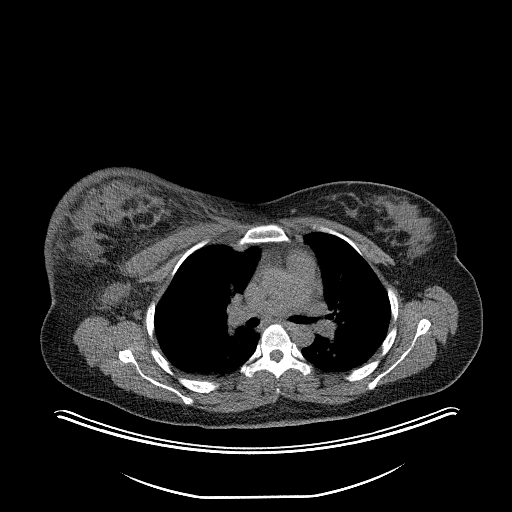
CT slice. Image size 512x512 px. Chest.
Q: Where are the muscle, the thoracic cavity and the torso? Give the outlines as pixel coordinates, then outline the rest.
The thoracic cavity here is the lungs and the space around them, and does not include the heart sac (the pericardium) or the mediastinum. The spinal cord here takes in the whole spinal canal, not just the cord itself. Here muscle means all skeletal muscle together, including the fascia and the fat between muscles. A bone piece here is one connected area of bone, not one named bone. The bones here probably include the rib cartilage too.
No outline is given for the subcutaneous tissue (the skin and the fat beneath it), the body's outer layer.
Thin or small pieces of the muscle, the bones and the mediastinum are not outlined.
A: {"muscle":[{"outer":[[308,215],[323,217],[345,225],[366,236],[387,253],[395,263],[384,267],[383,271],[404,301],[414,299],[421,290],[433,285],[442,287],[451,295],[458,308],[457,328],[428,367],[409,376],[382,384],[374,389],[380,379],[389,373],[410,352],[418,337],[428,331],[431,321],[423,317],[417,322],[414,335],[407,348],[394,362],[367,384],[366,388],[370,391],[356,399],[340,404],[322,404],[297,401],[280,396],[273,403],[247,410],[213,412],[191,406],[194,403],[192,397],[183,394],[171,385],[160,382],[145,374],[129,347],[120,349],[117,357],[125,364],[132,363],[142,378],[174,393],[187,405],[184,405],[160,401],[132,391],[126,391],[117,386],[108,376],[102,375],[96,369],[91,368],[73,342],[73,334],[79,323],[90,315],[103,316],[113,324],[122,320],[139,322],[142,319],[151,292],[150,285],[152,284],[150,282],[137,283],[134,279],[124,276],[120,273],[120,266],[132,255],[157,240],[180,228],[199,223],[219,222],[222,219],[232,219],[241,223],[251,224],[255,222],[275,222],[280,218]],"hole":[[270,223],[281,227],[289,237],[310,232],[314,223],[329,227],[353,241],[381,284],[385,288],[390,286],[396,295],[397,318],[393,321],[391,317],[388,325],[389,331],[396,327],[393,343],[383,356],[378,348],[369,360],[379,359],[377,367],[354,381],[344,378],[348,371],[324,370],[314,365],[306,375],[289,368],[277,379],[265,369],[256,371],[251,377],[236,369],[216,378],[220,385],[214,390],[190,390],[177,379],[185,377],[185,374],[173,366],[174,374],[169,374],[152,356],[152,347],[161,350],[156,336],[154,334],[151,339],[147,331],[147,307],[152,300],[156,303],[159,301],[171,281],[174,266],[193,245],[205,239],[209,239],[209,244],[235,244],[250,228]]}],"thoracic_cavity":[[[217,243],[229,244],[237,251],[245,251],[255,245],[259,249],[259,259],[239,295],[239,301],[244,320],[253,322],[253,330],[260,335],[253,352],[238,369],[211,380],[194,379],[186,377],[162,354],[155,335],[156,306],[182,263],[197,250],[208,244]],[[311,231],[335,236],[351,246],[364,258],[373,270],[385,288],[388,298],[390,319],[385,337],[368,362],[349,371],[321,369],[307,361],[301,352],[302,348],[310,346],[314,341],[318,333],[318,324],[325,305],[321,269],[315,253],[304,239],[304,235]]],"torso":[[[113,165],[142,168],[242,202],[264,202],[337,180],[373,181],[422,195],[451,222],[457,256],[476,282],[483,310],[476,354],[438,392],[345,419],[289,426],[174,425],[68,388],[49,371],[40,349],[51,300],[44,237],[50,214],[68,187],[93,170]]],"mediastinum":[{"outer":[[299,233],[305,233],[304,242],[316,258],[320,269],[324,299],[323,311],[317,324],[317,333],[310,345],[300,349],[280,323],[269,324],[260,334],[255,331],[254,322],[245,320],[240,301],[240,295],[252,277],[261,256],[256,244],[289,242],[291,236]],"hole":[[298,251],[308,254],[314,260],[317,267],[317,272],[319,276],[321,287],[319,295],[317,296],[314,302],[310,306],[304,309],[292,310],[291,311],[276,311],[267,309],[263,305],[255,288],[255,275],[257,270],[261,266],[272,259],[287,253],[292,253]]}],"bones":[{"outer":[[271,324],[280,324],[289,336],[291,341],[300,350],[306,361],[313,366],[312,370],[308,374],[303,375],[299,370],[294,368],[289,368],[277,379],[271,372],[265,369],[256,371],[251,377],[248,377],[239,372],[238,370],[239,368],[254,352],[262,332]],"hole":[[274,350],[279,350],[282,353],[282,357],[278,361],[276,361],[275,360],[273,360],[272,359],[271,359],[271,358],[270,357],[270,353],[272,351],[273,351]]},[[270,223],[276,224],[281,227],[284,232],[289,237],[290,239],[289,241],[279,241],[278,242],[276,241],[268,241],[267,242],[259,242],[255,244],[248,243],[241,246],[238,246],[236,244],[236,242],[250,228],[254,226],[262,225],[263,224],[269,224]],[[127,348],[129,348],[131,350],[140,369],[145,375],[151,377],[160,383],[171,386],[183,395],[192,398],[193,403],[190,405],[184,403],[183,400],[174,392],[158,386],[142,377],[132,362],[126,363],[123,362],[118,357],[118,353],[120,350]],[[423,318],[426,318],[430,321],[430,326],[427,331],[417,337],[412,348],[409,352],[389,372],[379,379],[373,389],[371,390],[368,389],[367,388],[368,384],[375,377],[386,370],[394,363],[408,348],[411,344],[411,342],[415,335],[418,322]],[[178,377],[185,377],[186,378],[188,378],[189,379],[193,379],[194,380],[208,380],[209,381],[215,380],[216,381],[218,381],[220,383],[220,385],[218,388],[214,390],[212,390],[209,392],[197,392],[196,391],[190,390],[183,386],[178,381],[177,379]],[[375,359],[379,359],[379,363],[377,367],[368,375],[363,377],[361,379],[358,379],[354,381],[349,381],[348,380],[346,380],[344,378],[344,376],[351,370],[353,369],[355,369],[356,368],[358,368],[368,363],[370,361],[372,361]],[[314,223],[315,224],[324,225],[327,227],[329,227],[348,237],[355,243],[355,244],[361,251],[362,255],[363,256],[359,254],[358,252],[345,240],[335,235],[333,235],[326,232],[323,232],[322,231],[317,231],[316,230],[312,230],[311,228],[311,225]],[[152,300],[154,300],[154,301],[156,303],[156,305],[155,306],[155,311],[154,312],[154,317],[153,318],[153,323],[154,324],[154,334],[153,335],[153,338],[151,339],[149,337],[149,335],[147,331],[147,327],[146,326],[146,310],[147,309],[148,305]],[[205,239],[209,239],[209,242],[204,246],[197,249],[195,251],[191,253],[181,263],[181,264],[179,266],[179,267],[177,269],[171,279],[171,272],[173,270],[174,266],[176,264],[178,260],[186,251],[186,250],[187,250],[198,242],[202,240],[204,240]],[[152,347],[154,347],[156,349],[157,349],[161,353],[161,354],[168,361],[168,362],[170,364],[171,369],[174,373],[174,374],[173,375],[171,375],[170,374],[169,374],[166,371],[165,371],[155,361],[154,358],[152,356],[152,355],[150,352],[150,349]],[[388,286],[390,286],[392,288],[397,298],[397,304],[398,305],[398,309],[397,310],[397,318],[395,321],[393,321],[391,317],[391,307],[390,306],[390,302],[389,301],[389,298],[388,297],[388,295],[387,294],[387,291],[386,290],[386,288]],[[393,327],[396,327],[396,334],[395,335],[395,338],[393,341],[393,343],[391,345],[390,348],[387,351],[387,352],[383,356],[381,356],[380,355],[381,353],[381,349],[380,348],[381,346],[381,344],[384,340],[384,339],[386,337],[388,332]]],"spinal_cord":[[[274,350],[279,350],[282,353],[282,357],[278,361],[276,361],[275,360],[273,360],[272,359],[271,359],[271,358],[270,357],[270,353],[272,351],[273,351]]],"pericardium":[[[298,251],[308,254],[314,260],[317,267],[317,272],[319,276],[321,287],[319,295],[317,296],[314,302],[310,306],[304,309],[292,310],[291,311],[276,311],[267,309],[263,305],[255,288],[255,275],[257,270],[261,266],[272,259],[287,253],[292,253]]]}